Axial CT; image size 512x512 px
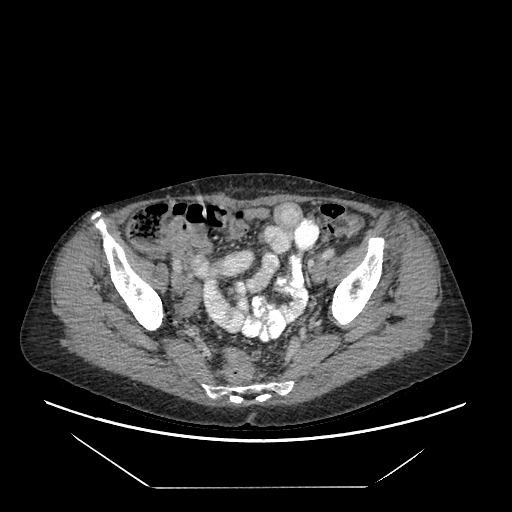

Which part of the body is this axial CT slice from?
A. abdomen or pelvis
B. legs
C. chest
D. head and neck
Answer: A. abdomen or pelvis
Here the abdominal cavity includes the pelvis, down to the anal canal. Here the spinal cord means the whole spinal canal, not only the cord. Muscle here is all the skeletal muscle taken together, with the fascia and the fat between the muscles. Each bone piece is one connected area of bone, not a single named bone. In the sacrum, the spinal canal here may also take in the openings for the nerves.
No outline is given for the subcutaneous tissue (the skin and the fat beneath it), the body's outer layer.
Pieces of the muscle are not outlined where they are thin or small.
Outlined structures:
spinal cord: 254,394 257,394 256,394 253,397 252,397 251,398 246,398 244,396 243,396 249,396 250,395 253,395
torso: 248,172 310,178 399,201 419,212 444,250 471,319 471,344 461,361 349,412 300,424 257,426 245,423 236,427 187,423 144,412 94,394 27,362 19,345 27,305 49,252 80,215 95,206 169,185 206,176
bones 1: 96,211 101,211 101,216 104,219 108,232 123,248 126,259 131,268 160,296 164,315 161,325 157,329 148,330 140,324 115,288 110,277 109,265 102,245 102,236 99,230 94,225 94,222 90,219 90,216
bones 2: 379,236 383,237 385,240 385,245 383,250 382,273 379,281 361,311 348,323 346,324 339,324 333,317 331,310 332,308 332,297 335,288 339,282 363,260 367,252 367,246 368,245 369,238 371,237 378,237
bones 3: 287,380 294,381 293,387 288,393 285,395 280,395 275,391 271,391 271,396 262,402 245,401 235,403 229,400 229,396 227,394 223,394 214,399 209,397 201,386 201,383 209,385 238,386 256,382 281,382
muscle: 194,194 323,196 408,213 440,266 442,298 431,338 319,397 271,407 203,405 69,353 51,309 50,279 61,248 89,216 110,280 138,323 155,331 165,318 167,334 190,341 227,384 201,382 209,398 262,403 271,392 293,389 293,379 265,381 326,327 325,267 364,237 369,215 333,200 140,205 124,222 124,241 167,268 160,295 132,268 102,210, around a hole outlined by 379,236 383,237 385,240 385,245 383,250 382,273 379,281 361,311 348,323 346,324 339,324 333,317 331,310 332,308 332,297 335,288 339,282 363,260 367,252 367,246 368,245 369,238 371,237 378,237
abdominal cavity: 195,199 229,206 333,201 368,215 369,228 363,237 324,267 330,289 325,327 307,339 285,366 264,381 228,384 190,340 168,334 161,297 168,286 168,268 161,262 138,254 125,241 125,222 138,207 162,200